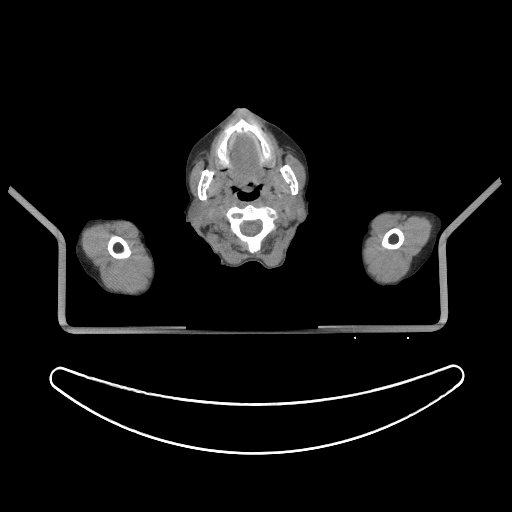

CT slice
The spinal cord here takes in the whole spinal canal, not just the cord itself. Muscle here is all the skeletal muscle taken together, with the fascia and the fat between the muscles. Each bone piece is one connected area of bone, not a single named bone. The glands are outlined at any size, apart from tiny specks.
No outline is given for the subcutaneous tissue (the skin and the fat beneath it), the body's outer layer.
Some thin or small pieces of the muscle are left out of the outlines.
The parotid glands appear in 2 outlined pieces: piece 1: [[195,198],[197,198],[200,201],[200,207],[201,208],[201,211],[199,214],[199,216],[198,217],[198,218],[194,222],[193,221],[192,221],[192,220],[191,219],[190,219],[190,218],[189,217],[189,210],[190,209],[190,207],[191,206],[191,205]]; piece 2: [[298,193],[301,193],[301,194],[302,195],[302,198],[303,199],[302,200],[303,201],[303,204],[304,205],[304,209],[303,208],[297,208],[296,209],[294,209],[293,210],[291,210],[290,209],[290,206],[291,205],[292,202],[295,199],[295,198],[297,196]]. The left arm is outlined by [[390,209],[423,209],[424,210],[429,210],[434,212],[441,218],[442,226],[437,238],[436,245],[434,247],[430,257],[416,273],[397,285],[381,286],[374,283],[364,272],[360,259],[360,245],[362,240],[362,236],[367,229],[367,225],[369,220],[377,213]]. The right arm is outlined by [[91,217],[125,218],[135,222],[141,229],[144,234],[145,241],[153,256],[156,270],[153,284],[149,291],[145,294],[137,297],[132,297],[127,295],[118,295],[109,293],[102,289],[91,277],[85,273],[76,257],[75,254],[75,243],[80,228]]. The bones appear in 6 outlined pieces: piece 1: [[248,204],[252,204],[257,207],[269,206],[275,209],[277,212],[277,217],[274,220],[274,223],[276,226],[275,229],[268,233],[261,241],[259,250],[252,253],[248,250],[247,245],[231,231],[229,222],[225,215],[227,210],[232,206],[237,206],[241,208]], around a hole outlined by [[253,220],[259,220],[261,222],[261,229],[256,234],[255,234],[254,235],[246,235],[245,234],[244,234],[241,231],[241,230],[240,229],[240,225],[241,224],[241,223],[242,222],[243,222],[244,221],[252,221]]; piece 2: [[241,117],[249,122],[255,121],[259,124],[270,145],[271,159],[263,159],[260,143],[252,132],[249,131],[239,133],[235,131],[231,135],[227,146],[229,163],[227,166],[223,167],[219,164],[219,159],[216,154],[218,143],[226,126],[229,123],[236,122]]; piece 3: [[112,235],[117,235],[118,236],[120,236],[127,242],[130,248],[130,250],[131,251],[131,253],[130,255],[127,258],[121,258],[120,259],[118,258],[115,258],[113,257],[109,253],[107,249],[107,243],[110,237]]; piece 4: [[394,227],[397,227],[399,228],[403,232],[403,234],[404,235],[404,240],[402,244],[398,248],[396,249],[388,249],[387,248],[385,248],[381,245],[381,241],[382,240],[382,238],[384,234],[388,230]]; piece 5: [[206,168],[208,169],[210,169],[211,170],[213,170],[214,171],[214,174],[206,190],[206,195],[207,196],[207,198],[205,200],[200,200],[198,198],[198,196],[197,195],[197,186],[198,185],[198,182],[199,181],[199,179],[201,175],[201,172],[204,169]]; piece 6: [[284,164],[288,164],[290,166],[293,172],[295,174],[296,179],[298,182],[298,192],[295,195],[293,195],[291,194],[290,192],[290,188],[289,187],[289,185],[285,181],[285,180],[283,178],[279,170],[279,168]]. The muscle appears in 3 outlined pieces: piece 1: [[238,113],[246,113],[260,120],[282,144],[294,150],[304,167],[305,180],[301,192],[291,166],[284,163],[278,168],[290,194],[296,195],[289,209],[303,209],[304,213],[293,223],[282,257],[274,265],[268,265],[258,258],[246,258],[238,263],[227,262],[204,230],[195,223],[202,211],[201,201],[208,198],[207,190],[215,171],[206,167],[200,172],[197,197],[194,198],[189,182],[193,161],[200,151],[210,145],[222,126]]; inner edges: [[248,204],[252,204],[257,207],[269,206],[275,209],[277,212],[277,217],[274,220],[274,223],[276,226],[275,229],[268,233],[261,241],[259,250],[252,253],[248,250],[247,245],[231,231],[229,222],[225,215],[227,210],[232,206],[237,206],[241,208]], then [[241,117],[249,122],[255,121],[259,124],[270,145],[271,159],[263,159],[260,143],[252,132],[249,131],[239,133],[235,131],[231,135],[227,146],[229,163],[227,166],[223,167],[219,164],[219,159],[216,154],[218,143],[226,126],[229,123],[236,122]], then [[254,190],[257,190],[257,191],[258,192],[258,194],[257,195],[257,196],[256,197],[255,197],[253,199],[242,199],[241,198],[240,198],[239,197],[239,196],[238,195],[238,192],[245,192],[246,193],[249,193],[250,192],[252,192]]; piece 2: [[114,221],[129,222],[136,228],[139,238],[150,258],[151,261],[151,275],[149,277],[147,285],[139,291],[136,292],[123,292],[122,291],[115,291],[106,287],[100,277],[98,269],[93,265],[82,248],[81,238],[82,233],[85,228],[96,223],[104,223]], around a hole outlined by [[112,235],[117,235],[118,236],[120,236],[127,242],[130,248],[130,250],[131,251],[131,253],[130,255],[127,258],[121,258],[120,259],[118,258],[115,258],[113,257],[109,253],[107,249],[107,243],[110,237]]; piece 3: [[385,213],[400,213],[406,214],[409,216],[423,215],[430,219],[433,224],[430,236],[427,242],[421,250],[412,258],[412,261],[408,271],[402,277],[396,281],[392,282],[384,282],[377,279],[370,272],[364,255],[365,242],[370,235],[371,225],[378,216]]; inner edge: [[394,227],[397,227],[399,228],[403,232],[403,234],[404,235],[404,240],[402,244],[398,248],[396,249],[388,249],[387,248],[385,248],[381,245],[381,241],[382,240],[382,238],[384,234],[388,230]]. The head and neck is outlined by [[237,106],[243,106],[255,112],[284,130],[300,146],[307,160],[309,182],[305,195],[309,201],[308,214],[297,227],[285,260],[279,267],[269,269],[255,261],[237,267],[222,265],[210,246],[185,220],[184,209],[189,200],[184,177],[188,153],[197,140]]; inner edge: [[254,190],[257,190],[257,191],[258,192],[258,194],[257,195],[257,196],[256,197],[255,197],[253,199],[242,199],[241,198],[240,198],[239,197],[239,196],[238,195],[238,192],[245,192],[246,193],[249,193],[250,192],[252,192]]. The spinal cord is outlined by [[253,220],[259,220],[261,222],[261,229],[256,234],[255,234],[254,235],[246,235],[245,234],[244,234],[241,231],[241,230],[240,229],[240,225],[241,224],[241,223],[242,222],[243,222],[244,221],[252,221]].